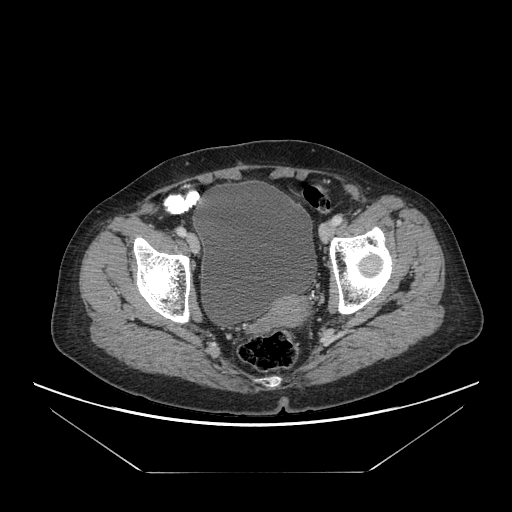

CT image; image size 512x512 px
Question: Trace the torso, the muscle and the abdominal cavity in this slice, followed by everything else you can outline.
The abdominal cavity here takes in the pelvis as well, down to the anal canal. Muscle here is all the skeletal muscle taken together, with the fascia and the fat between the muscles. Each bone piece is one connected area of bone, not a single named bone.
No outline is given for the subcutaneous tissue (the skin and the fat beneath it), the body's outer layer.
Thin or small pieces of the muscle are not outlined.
Answer: The torso is outlined by 259,139 302,139 329,146 427,197 452,228 482,306 483,327 474,341 415,377 371,397 318,411 290,414 282,409 269,416 212,414 155,403 108,385 62,355 52,341 51,313 63,253 84,216 168,158 200,148. The muscle is outlined by 242,164 272,164 327,170 360,184 367,191 370,198 374,199 384,194 391,194 414,205 429,220 444,254 445,285 440,302 445,312 443,322 439,328 407,351 334,381 319,385 267,390 257,393 228,391 200,385 179,377 146,373 128,367 97,347 90,340 90,318 85,311 78,285 81,260 92,239 113,217 134,211 139,203 154,190 186,176, around holes outlined by 253,170 272,179 335,178 358,211 331,237 378,226 392,258 381,291 341,314 327,247 327,308 314,343 296,367 276,374 283,381 274,388 254,382 262,376 221,348 198,302 195,257 163,225 160,203 189,182 and by 138,235 144,238 151,246 160,252 169,254 181,253 189,256 191,269 191,285 188,298 190,312 189,321 185,323 178,323 165,318 155,311 140,294 136,284 136,268 137,266 134,255 132,252 133,241 135,237. The abdominal cavity is outlined by 253,170 265,170 272,179 304,180 316,174 335,178 358,207 353,217 340,223 328,243 327,308 314,343 302,361 285,373 250,373 223,351 198,302 195,257 186,241 162,222 160,198 169,190 189,182 238,180. The bones appear in 3 outlined pieces: piece 1: 374,226 380,227 383,231 385,236 385,246 392,258 392,268 391,269 390,277 381,291 362,308 350,314 341,314 337,311 338,293 337,292 337,285 329,257 330,242 334,236 338,236 339,237 356,236 365,233; piece 2: 138,235 144,238 151,246 160,252 169,254 181,253 189,256 191,269 191,285 188,298 190,312 189,321 185,323 178,323 165,318 155,311 140,294 136,284 136,268 137,266 134,255 132,252 133,241 135,237; piece 3: 273,374 276,374 277,375 279,375 283,378 283,381 282,382 282,383 279,386 277,386 274,388 268,388 265,386 263,386 259,383 256,383 253,381 253,379 256,377 261,377 262,376 265,376 266,375 272,375.